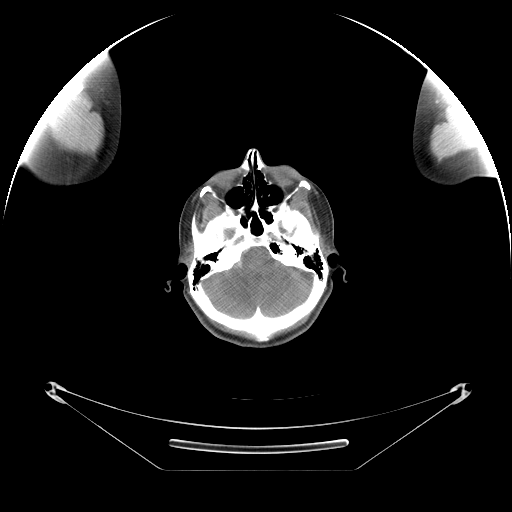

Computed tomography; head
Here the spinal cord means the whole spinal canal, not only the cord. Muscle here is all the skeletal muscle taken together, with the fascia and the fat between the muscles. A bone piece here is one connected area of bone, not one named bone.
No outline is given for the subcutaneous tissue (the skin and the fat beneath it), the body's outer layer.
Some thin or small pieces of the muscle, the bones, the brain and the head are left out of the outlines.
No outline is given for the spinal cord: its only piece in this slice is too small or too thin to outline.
Outlines (x, y in pixels):
head: [[250,148],[266,165],[288,162],[321,188],[340,254],[329,255],[327,263],[344,267],[347,281],[338,268],[314,323],[287,343],[267,348],[215,337],[187,303],[181,282],[164,289],[168,279],[183,277],[188,269],[176,265],[186,199],[219,168],[238,167]] with holes at [[255,171],[261,172],[268,186],[274,185],[282,193],[279,202],[268,204],[264,209],[271,216],[269,222],[261,215],[258,193],[253,193],[247,210],[246,204],[234,208],[226,201],[226,194],[233,188],[242,187],[243,180],[249,175],[251,185],[256,183]] and at [[248,212],[249,213],[254,213],[255,214],[256,217],[260,222],[260,223],[261,224],[261,226],[262,227],[262,230],[260,233],[258,233],[257,234],[256,234],[252,231],[252,230],[251,229],[251,223],[252,222],[253,217],[251,215],[248,215]]
bones 1: [[301,179],[310,189],[300,188],[287,202],[320,233],[329,267],[326,287],[308,315],[257,341],[210,319],[190,295],[192,215],[202,230],[224,209],[209,192],[199,196],[210,185],[234,209],[246,205],[247,211],[258,194],[260,215],[269,223],[266,207]]; inner edges: [[257,247],[263,248],[274,261],[309,274],[311,281],[307,295],[292,308],[275,315],[265,314],[258,305],[250,315],[243,317],[235,316],[219,309],[213,303],[204,288],[204,282],[214,274],[230,270],[236,265],[240,267],[243,263],[244,254],[250,249]], then [[248,212],[249,213],[254,213],[255,214],[256,217],[260,222],[260,223],[261,224],[261,226],[262,227],[262,230],[260,233],[258,233],[257,234],[256,234],[252,231],[252,230],[251,229],[251,223],[252,222],[253,217],[251,215],[248,215]]
bones 2: [[250,148],[258,150],[262,161],[266,165],[267,172],[278,186],[274,184],[268,185],[264,180],[262,172],[255,170],[253,172],[255,175],[255,183],[252,185],[252,178],[249,174],[242,180],[242,186],[233,187],[227,193],[239,174],[237,167],[242,163]]
bones 3: [[63,87],[64,87],[64,94],[63,95],[63,96],[60,99],[58,99],[57,100],[56,100],[55,99],[54,99],[54,98],[56,96],[56,95],[62,89],[62,88]]
left arm: [[429,70],[434,72],[448,86],[469,114],[481,134],[491,155],[497,171],[498,180],[495,177],[487,177],[486,176],[474,177],[465,182],[456,185],[444,186],[436,184],[426,179],[417,170],[412,156],[412,145],[411,144],[412,129],[419,91],[424,77]]
muscle 1: [[77,73],[80,75],[82,79],[88,85],[91,91],[96,96],[99,108],[105,119],[105,129],[103,133],[103,140],[99,150],[99,155],[78,155],[59,150],[50,139],[42,117],[42,114],[53,99],[57,101],[60,100],[64,96],[65,94],[64,86]]
muscle 2: [[447,86],[448,86],[457,97],[459,101],[469,114],[470,117],[481,134],[487,146],[487,148],[484,148],[483,149],[472,149],[460,153],[454,157],[451,157],[448,159],[435,160],[430,154],[430,123],[431,122],[432,115],[443,98]]
muscle 3: [[310,183],[317,190],[325,210],[325,213],[327,215],[328,247],[325,250],[325,252],[321,246],[320,242],[321,233],[319,229],[314,227],[307,217],[299,209],[291,207],[288,202],[292,196],[300,189],[303,188],[309,191],[311,189]]
muscle 4: [[198,190],[198,196],[200,198],[209,193],[213,199],[222,204],[223,209],[211,217],[202,229],[200,229],[197,225],[197,213],[195,211],[192,213],[190,219],[192,251],[190,254],[185,253],[184,251],[184,243],[186,241],[185,224],[188,218],[192,197]]
muscle 5: [[206,317],[207,317],[210,320],[214,321],[226,327],[228,329],[230,329],[233,331],[238,331],[239,332],[245,333],[249,336],[250,336],[251,338],[242,337],[241,336],[239,336],[235,334],[232,334],[231,333],[223,331],[214,326],[207,319]]
muscle 6: [[309,315],[307,320],[304,323],[303,323],[298,327],[288,332],[286,332],[283,334],[280,334],[277,336],[275,336],[273,337],[274,334],[278,332],[280,332],[283,330],[285,330],[291,327],[298,321],[301,320],[303,318]]
brain: [[257,247],[263,248],[274,261],[309,274],[311,281],[307,295],[292,308],[275,315],[265,314],[258,305],[250,315],[243,317],[235,316],[219,309],[213,303],[204,288],[204,282],[214,274],[230,270],[236,265],[240,267],[243,263],[244,254],[250,249]]
right arm: [[102,52],[108,52],[115,62],[118,70],[120,80],[120,90],[121,91],[120,141],[116,156],[110,167],[101,176],[88,183],[75,186],[58,186],[57,187],[44,185],[38,182],[21,166],[15,171],[23,148],[35,125],[46,108],[62,88],[90,60]]